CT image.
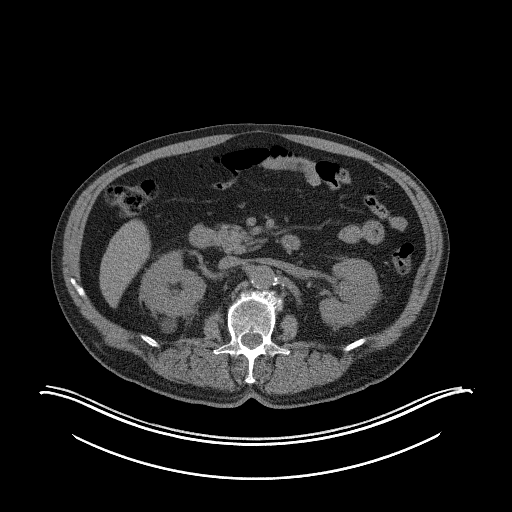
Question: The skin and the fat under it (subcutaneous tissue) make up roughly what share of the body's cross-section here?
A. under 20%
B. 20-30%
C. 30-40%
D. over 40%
Answer: A. under 20%
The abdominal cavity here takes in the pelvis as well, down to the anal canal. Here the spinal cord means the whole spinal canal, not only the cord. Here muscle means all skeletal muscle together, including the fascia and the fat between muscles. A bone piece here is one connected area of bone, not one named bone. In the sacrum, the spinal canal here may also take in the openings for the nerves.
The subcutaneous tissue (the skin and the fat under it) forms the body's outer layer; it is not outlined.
Outlines (x, y in pixels):
abdominal cavity: [[254,133],[363,160],[404,190],[425,249],[399,315],[379,331],[334,346],[294,339],[298,320],[290,312],[277,315],[284,301],[273,289],[241,291],[225,316],[219,306],[204,319],[199,337],[155,339],[105,317],[82,286],[80,263],[102,189],[154,160]]
torso: [[244,122],[302,125],[363,141],[400,161],[436,199],[450,241],[439,304],[416,351],[385,380],[336,400],[296,408],[274,409],[253,398],[232,408],[187,403],[152,392],[105,368],[66,321],[52,284],[50,248],[60,214],[77,187],[109,158],[143,141]]
muscle: [[256,129],[333,141],[394,166],[427,196],[443,239],[429,294],[399,338],[356,359],[339,378],[290,394],[268,394],[251,384],[256,382],[257,357],[291,352],[272,338],[277,316],[295,316],[294,340],[344,345],[342,350],[349,352],[400,315],[425,255],[422,224],[409,196],[392,177],[367,161],[254,132],[154,159],[116,177],[97,195],[81,242],[81,285],[69,278],[77,294],[83,299],[87,296],[105,318],[138,333],[154,348],[160,346],[156,340],[203,337],[205,319],[220,307],[229,340],[212,352],[234,358],[243,355],[247,360],[243,380],[249,384],[234,391],[170,381],[132,352],[106,345],[73,302],[62,272],[63,238],[71,210],[81,193],[102,174],[170,144]]
spinal cord: [[249,333],[250,333],[251,334],[258,334],[261,337],[261,342],[258,345],[257,345],[255,347],[254,347],[253,348],[249,348],[247,346],[246,346],[245,345],[244,345],[243,344],[243,343],[242,342],[242,337],[244,335],[245,335],[246,334],[248,334]]
bones 1: [[264,290],[275,291],[283,301],[282,309],[276,312],[271,338],[290,352],[272,357],[267,354],[257,356],[252,370],[255,382],[250,384],[244,380],[248,360],[243,354],[234,357],[228,353],[216,354],[213,350],[230,340],[226,326],[228,307],[243,291]] with a hole at [[249,333],[250,333],[251,334],[258,334],[261,337],[261,342],[258,345],[257,345],[255,347],[254,347],[253,348],[249,348],[247,346],[246,346],[245,345],[244,345],[243,344],[243,343],[242,342],[242,337],[244,335],[245,335],[246,334],[248,334]]
bones 2: [[364,336],[368,336],[368,338],[365,341],[365,342],[364,342],[361,345],[360,345],[359,346],[358,346],[349,351],[344,351],[343,350],[343,348],[346,345],[347,345],[348,344],[349,344],[350,343],[351,343],[352,342],[353,342],[354,341],[355,341]]
bones 3: [[70,278],[74,278],[75,279],[76,282],[79,285],[80,285],[83,288],[83,289],[85,291],[85,293],[86,294],[86,296],[84,298],[81,297],[78,294],[77,291],[75,289],[75,288],[71,283],[71,282],[70,281]]
bones 4: [[141,333],[142,333],[143,334],[145,334],[146,335],[147,335],[148,336],[149,336],[150,337],[151,337],[152,338],[153,338],[159,344],[159,346],[158,347],[154,347],[153,346],[151,346],[149,344],[148,344],[144,340],[143,340],[140,337],[140,334]]